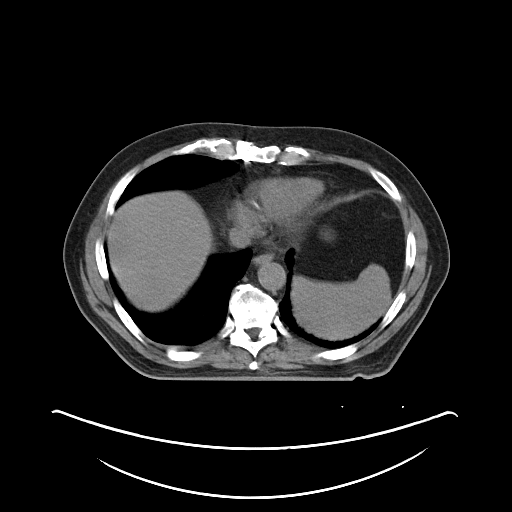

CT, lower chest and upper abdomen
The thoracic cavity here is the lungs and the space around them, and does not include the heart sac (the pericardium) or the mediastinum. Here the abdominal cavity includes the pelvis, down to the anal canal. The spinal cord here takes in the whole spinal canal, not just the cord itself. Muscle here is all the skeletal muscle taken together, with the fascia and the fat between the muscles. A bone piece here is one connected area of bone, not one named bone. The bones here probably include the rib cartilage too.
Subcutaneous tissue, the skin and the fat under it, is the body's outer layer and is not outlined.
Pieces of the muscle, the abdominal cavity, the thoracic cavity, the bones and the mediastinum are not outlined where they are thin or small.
pericardium: (276, 170) (282, 172) (322, 172) (342, 181) (344, 186) (339, 197) (317, 211) (311, 223) (307, 227) (305, 231) (305, 236) (299, 247) (291, 247) (283, 251) (264, 244) (256, 243) (248, 234) (238, 227) (229, 216) (230, 203) (244, 188) (255, 179) (263, 177) (272, 171)
muscle 1: (116, 181) (104, 214) (110, 217) (104, 242) (101, 237) (94, 242) (96, 266) (100, 276) (109, 281) (115, 295) (112, 305) (121, 322) (141, 343) (145, 345) (147, 337) (167, 346) (165, 356) (171, 361) (199, 358) (202, 351) (192, 348) (217, 335) (221, 340) (228, 337) (231, 346) (243, 348) (255, 358) (262, 348) (276, 343) (279, 334) (289, 339) (291, 332) (324, 349) (313, 358) (350, 358) (360, 340) (393, 320) (407, 297) (404, 289) (398, 290) (404, 271) (415, 263) (416, 237) (412, 229) (405, 233) (396, 205) (402, 201) (398, 188) (421, 220) (428, 240) (431, 272) (423, 297) (383, 345) (345, 363) (260, 372) (255, 359) (249, 362) (249, 369) (179, 368) (155, 362) (135, 350) (91, 308) (80, 275) (87, 231)
muscle 2: (304, 147) (316, 149) (326, 153) (334, 153) (347, 157) (360, 159) (369, 163) (373, 166) (370, 165) (366, 168) (366, 170) (369, 174) (368, 175) (363, 171) (341, 163) (326, 162) (325, 161) (308, 161) (303, 163) (304, 161) (308, 160) (312, 156) (312, 153)
muscle 3: (194, 140) (195, 140) (192, 142) (185, 144) (178, 148) (173, 149) (166, 155) (167, 157) (161, 159) (159, 161) (157, 161) (155, 163) (144, 168) (139, 172) (140, 167) (138, 165) (135, 165) (137, 163) (141, 162) (149, 156) (165, 148) (185, 142) (190, 142)
torso: (204, 121) (342, 129) (365, 137) (391, 152) (420, 182) (432, 201) (447, 236) (449, 271) (423, 321) (388, 372) (369, 379) (357, 376) (350, 381) (154, 379) (130, 367) (82, 315) (67, 281) (62, 252) (68, 226) (86, 190) (110, 158) (134, 140) (167, 127)
spinal cord: (250, 328) (259, 328) (260, 329) (260, 330) (259, 331) (259, 332) (258, 333) (258, 334) (257, 335) (257, 337) (256, 338) (256, 339) (252, 339) (251, 338) (251, 337) (248, 334) (248, 333) (246, 331) (246, 330) (247, 329) (249, 329)
thoracic cavity 1: (105, 243) (109, 267) (123, 297) (137, 310) (151, 313) (167, 310) (179, 302) (196, 283) (210, 256) (249, 248) (251, 250) (251, 258) (242, 277) (231, 289) (227, 315) (217, 334) (193, 346) (191, 349) (178, 349) (175, 345) (166, 345) (146, 336) (119, 301) (109, 280)
thoracic cavity 2: (186, 154) (201, 154) (220, 160) (230, 160) (231, 161) (240, 160) (241, 161) (236, 171) (229, 175) (221, 177) (214, 181) (200, 185) (197, 187) (178, 187) (170, 189) (161, 189) (134, 195) (124, 201) (118, 207) (116, 207) (117, 202) (124, 190) (138, 173) (168, 157)
thoracic cavity 3: (290, 249) (293, 250) (293, 266) (289, 290) (290, 310) (295, 323) (300, 328) (306, 333) (322, 340) (341, 341) (360, 334) (378, 320) (380, 320) (377, 326) (357, 341) (341, 347) (326, 349) (290, 331) (278, 313) (279, 303) (286, 291) (289, 270) (285, 256) (287, 251)
abdominal cavity 1: (368, 191) (382, 192) (389, 196) (399, 211) (403, 225) (405, 234) (404, 261) (403, 272) (397, 293) (382, 317) (367, 329) (346, 339) (322, 339) (306, 332) (296, 323) (292, 314) (290, 290) (294, 266) (294, 248) (299, 248) (304, 241) (306, 231) (318, 211) (349, 196)
abdominal cavity 2: (242, 161) (250, 182) (229, 203) (228, 216) (255, 242) (252, 248) (247, 247) (210, 255) (195, 283) (179, 301) (167, 309) (151, 312) (131, 305) (116, 282) (110, 267) (105, 242) (110, 218) (115, 209) (130, 198) (141, 194) (178, 188) (197, 188) (214, 182) (236, 172)
bones 1: (242, 283) (249, 283) (259, 288) (278, 302) (277, 313) (291, 334) (291, 337) (287, 338) (279, 333) (278, 340) (262, 347) (255, 357) (247, 349) (231, 345) (229, 343) (228, 336) (222, 339) (218, 336) (218, 332) (224, 325) (228, 315) (229, 299) (232, 289) (234, 286), around a hole outlined by (250, 328) (259, 328) (260, 329) (260, 330) (259, 331) (259, 332) (258, 333) (258, 334) (257, 335) (257, 337) (256, 338) (256, 339) (252, 339) (251, 338) (251, 337) (248, 334) (248, 333) (246, 331) (246, 330) (247, 329) (249, 329)
bones 2: (220, 137) (233, 142) (238, 139) (251, 141) (259, 146) (278, 145) (281, 148) (291, 145) (301, 146) (310, 152) (311, 156) (302, 163) (295, 165) (220, 159) (211, 156) (205, 149) (197, 149) (194, 153) (167, 156) (173, 150) (197, 139)
bones 3: (134, 166) (138, 166) (139, 167) (139, 170) (138, 172) (128, 183) (120, 195) (118, 200) (116, 202) (113, 214) (110, 216) (106, 217) (105, 214) (106, 213) (107, 204) (108, 203) (110, 195) (112, 192) (112, 190) (114, 186) (120, 177) (129, 169)
bones 4: (370, 166) (372, 167) (374, 167) (376, 169) (381, 171) (384, 174) (385, 174) (395, 184) (399, 192) (399, 194) (401, 197) (401, 201) (400, 202) (397, 202) (395, 203) (391, 199) (388, 193) (370, 175) (370, 174) (367, 170) (367, 168)
bones 5: (115, 297) (117, 298) (118, 301) (121, 304) (121, 305) (126, 311) (126, 312) (130, 316) (130, 317) (135, 323) (135, 324) (145, 335) (145, 338) (144, 339) (145, 341) (145, 344) (141, 342) (126, 327) (126, 326) (122, 322) (122, 321) (118, 316) (113, 305) (113, 299)
bones 6: (358, 341) (359, 342) (358, 348) (350, 357) (345, 357) (344, 358) (341, 358) (340, 359) (326, 359) (322, 357) (313, 357) (313, 355) (317, 352) (319, 352) (323, 350) (326, 350) (327, 349) (336, 349) (337, 348) (341, 348) (342, 347) (347, 346) (352, 343) (354, 343)
bones 7: (401, 290) (404, 290) (405, 291) (405, 294) (406, 295) (405, 300) (402, 306) (400, 308) (399, 311) (396, 314) (396, 315) (392, 319) (392, 320) (386, 326) (385, 326) (382, 329) (380, 329) (380, 327) (379, 326) (379, 323) (381, 319) (392, 304) (398, 292)
bones 8: (168, 346) (175, 346) (177, 348) (177, 349) (178, 350) (194, 350) (195, 351) (201, 351) (201, 355) (199, 357) (198, 357) (197, 358) (195, 358) (192, 360) (189, 360) (188, 361) (175, 361) (174, 360) (171, 360) (169, 358) (168, 358) (166, 356) (166, 349) (168, 347)
bones 9: (98, 238) (101, 238) (103, 241) (103, 248) (104, 249) (105, 259) (106, 260) (106, 264) (107, 265) (107, 269) (108, 270) (108, 275) (109, 276) (108, 280) (105, 280) (101, 276) (99, 272) (98, 267) (97, 266) (97, 263) (96, 262) (96, 258) (95, 257) (95, 242)
bones 10: (409, 230) (412, 230) (412, 231) (414, 234) (414, 236) (415, 237) (415, 259) (414, 260) (414, 263) (413, 264) (412, 267) (409, 270) (407, 270) (406, 271) (405, 271) (404, 270) (404, 262) (405, 261) (405, 247) (406, 246) (406, 236) (407, 235) (407, 233) (409, 231)
mediastinum 1: (249, 162) (264, 164) (276, 163) (282, 166) (295, 166) (308, 162) (325, 162) (341, 164) (363, 172) (371, 177) (387, 194) (382, 191) (368, 190) (349, 195) (337, 202) (328, 205) (340, 197) (345, 187) (342, 180) (322, 171) (282, 171) (276, 169) (251, 181) (244, 163)
mediastinum 2: (255, 244) (264, 245) (279, 250) (282, 252) (286, 251) (284, 256) (284, 260) (287, 266) (288, 272) (286, 276) (285, 291) (282, 298) (279, 302) (271, 295) (265, 292) (259, 287) (249, 282) (242, 282) (236, 284) (243, 277) (250, 263) (250, 261) (252, 258) (252, 249)